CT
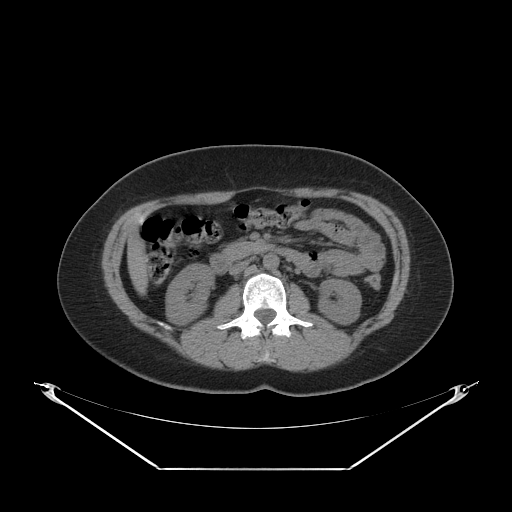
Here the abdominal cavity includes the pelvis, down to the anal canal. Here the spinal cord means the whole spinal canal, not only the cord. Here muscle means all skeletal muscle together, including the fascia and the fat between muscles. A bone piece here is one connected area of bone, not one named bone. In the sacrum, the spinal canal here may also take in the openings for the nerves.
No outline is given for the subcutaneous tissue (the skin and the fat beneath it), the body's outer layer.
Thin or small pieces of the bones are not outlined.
The bones are outlined by 259 273; 267 273; 278 278; 286 292; 288 312; 301 320; 312 322; 312 326; 292 324; 289 326; 290 336; 288 337; 270 332; 266 337; 255 335; 244 339; 241 337; 241 329; 237 326; 217 328; 218 325; 242 313; 244 284; 250 277 with a hole at 259 309; 271 309; 272 310; 273 310; 275 312; 275 315; 274 316; 274 317; 270 321; 269 321; 267 323; 266 323; 265 324; 264 324; 263 323; 262 323; 255 316; 255 315; 254 314; 254 313; 255 312; 255 311; 256 311. The abdominal cavity is outlined by 250 190; 339 198; 371 216; 389 238; 394 265; 378 312; 338 328; 310 311; 297 284; 290 282; 287 293; 267 272; 250 276; 242 289; 232 284; 211 315; 189 327; 172 326; 138 307; 120 265; 126 243; 144 219; 165 206; 218 204. The spinal cord is outlined by 259 309; 271 309; 272 310; 273 310; 275 312; 275 315; 274 316; 274 317; 270 321; 269 321; 267 323; 266 323; 265 324; 264 324; 263 323; 262 323; 255 316; 255 315; 254 314; 254 313; 255 312; 255 311; 256 311. The torso is outlined by 243 143; 317 146; 359 156; 397 180; 433 218; 451 258; 452 301; 432 338; 397 369; 353 389; 326 395; 295 397; 269 389; 202 393; 162 386; 122 369; 72 327; 59 301; 57 267; 70 231; 88 207; 116 180; 147 161; 196 147. The muscle is outlined by 252 185; 265 185; 281 188; 331 187; 356 191; 376 198; 387 205; 395 212; 405 229; 410 250; 410 270; 406 291; 395 310; 394 317; 388 324; 366 336; 349 357; 336 365; 311 372; 293 372; 266 364; 239 371; 225 371; 213 369; 200 364; 194 364; 177 354; 155 337; 143 332; 134 326; 108 293; 104 284; 101 267; 103 245; 112 225; 122 213; 137 204; 160 197; 182 193; 232 190 with holes at 250 190; 339 198; 371 216; 389 238; 394 265; 395 287; 378 312; 338 328; 310 311; 290 282; 286 308; 312 326; 243 339; 237 326; 217 328; 243 311; 238 283; 185 328; 165 329; 138 307; 120 265; 144 219; 165 206; 218 204 and at 266 351; 267 351; 268 352; 268 357; 269 358; 269 360; 268 360; 267 361; 265 361; 264 360; 262 360; 262 358; 263 357; 263 356; 265 354; 265 353; 266 352.